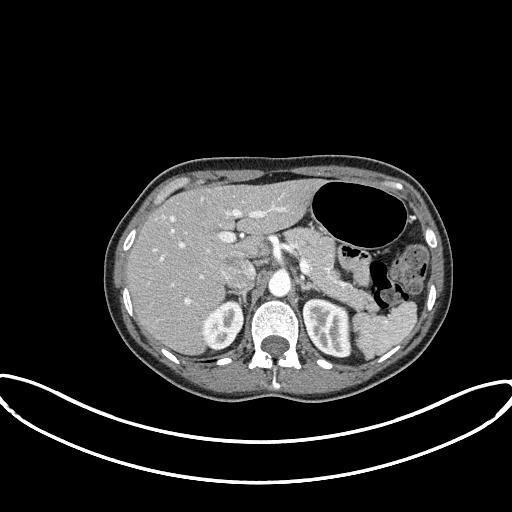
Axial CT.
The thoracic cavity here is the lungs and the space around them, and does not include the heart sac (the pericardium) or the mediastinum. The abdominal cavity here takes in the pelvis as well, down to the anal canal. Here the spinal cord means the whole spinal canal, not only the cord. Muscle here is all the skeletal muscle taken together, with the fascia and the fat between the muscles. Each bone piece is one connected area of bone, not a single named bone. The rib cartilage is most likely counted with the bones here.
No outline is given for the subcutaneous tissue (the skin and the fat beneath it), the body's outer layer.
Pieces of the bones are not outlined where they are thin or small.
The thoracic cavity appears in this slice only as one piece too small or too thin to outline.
{"abdominal_cavity":[[[350,365],[375,359],[400,344],[413,331],[426,301],[430,250],[409,201],[351,180],[274,173],[242,182],[180,188],[146,218],[128,252],[128,288],[138,323],[177,357],[210,360],[227,355],[250,329],[255,308],[279,299],[295,311],[299,329],[321,357]]],"bones":[{"outer":[[274,390],[277,390],[280,387],[276,380],[276,370],[279,366],[301,367],[296,351],[298,335],[297,317],[288,304],[279,300],[271,300],[262,303],[256,308],[252,315],[251,334],[254,352],[248,364],[250,368],[258,366],[271,369],[273,374],[270,388]],"hole":[[275,357],[277,357],[281,355],[282,353],[285,350],[287,349],[288,347],[288,343],[287,341],[284,338],[282,338],[279,336],[274,336],[273,335],[272,336],[269,336],[265,338],[263,340],[262,342],[262,348],[265,351],[268,352],[270,354],[271,354]]},[[156,205],[159,204],[164,199],[165,197],[166,197],[174,190],[180,187],[183,187],[187,185],[190,182],[190,179],[188,177],[180,177],[179,178],[177,178],[171,181],[165,186],[164,186],[158,192],[158,193],[153,199],[153,203]],[[131,316],[133,316],[134,315],[133,314],[133,310],[132,309],[132,306],[131,305],[131,300],[129,296],[129,292],[128,291],[128,289],[127,287],[124,287],[122,291],[122,295],[123,296],[123,302],[124,303],[124,305],[128,313]],[[430,248],[434,248],[435,247],[436,247],[436,246],[437,245],[437,242],[436,241],[436,238],[435,237],[435,234],[434,233],[434,232],[429,227],[427,227],[424,230],[424,235],[425,236],[425,239],[426,240],[426,241],[427,242],[428,245],[430,247]],[[428,310],[430,310],[432,308],[433,306],[433,304],[436,298],[435,296],[435,287],[433,284],[432,284],[430,286],[429,288],[429,290],[428,291],[428,296],[427,297],[427,301],[426,302],[426,305],[427,306],[427,309]],[[124,251],[126,251],[127,250],[128,250],[129,249],[129,248],[131,246],[131,245],[135,238],[135,236],[136,235],[136,229],[132,229],[129,232],[129,233],[127,235],[126,238],[124,240],[124,242],[123,243],[123,246],[122,247],[122,248]],[[377,362],[381,362],[383,360],[384,360],[385,359],[386,359],[388,357],[389,357],[393,353],[394,353],[400,347],[400,345],[397,345],[396,346],[395,346],[393,348],[392,348],[388,352],[387,352],[385,354],[382,355],[379,358],[378,358],[377,359]],[[175,363],[179,363],[179,360],[171,352],[170,352],[168,350],[167,350],[165,348],[164,348],[163,347],[162,347],[161,348],[161,352],[165,356],[166,356],[169,359],[170,359],[172,361],[173,361]]],"torso":[[[310,403],[348,397],[395,375],[421,355],[443,323],[452,296],[453,259],[448,234],[429,194],[413,176],[394,165],[346,154],[205,157],[187,160],[162,171],[145,186],[122,216],[104,255],[105,300],[122,340],[148,367],[195,395],[222,402],[275,396]]],"muscle":[{"outer":[[296,394],[331,392],[360,383],[409,352],[427,332],[441,298],[444,267],[441,238],[424,200],[403,179],[337,165],[271,170],[207,169],[166,179],[147,196],[117,244],[113,271],[115,292],[125,325],[139,345],[184,378],[217,392],[273,390],[269,388],[271,370],[247,366],[253,352],[250,330],[237,349],[226,356],[232,358],[229,364],[218,366],[214,362],[181,358],[178,358],[180,363],[175,364],[160,352],[161,346],[141,328],[135,316],[127,313],[122,302],[121,291],[127,286],[125,264],[128,251],[121,248],[123,240],[132,228],[137,231],[155,209],[152,199],[168,182],[188,176],[191,182],[186,186],[193,186],[202,182],[248,180],[274,172],[336,176],[386,188],[406,198],[423,229],[429,226],[435,232],[438,245],[430,249],[432,265],[428,288],[432,283],[435,285],[437,298],[430,311],[425,304],[418,324],[401,347],[381,363],[376,359],[356,366],[334,364],[331,369],[323,369],[315,362],[320,356],[304,332],[299,330],[297,351],[302,367],[279,367],[277,370],[277,380],[281,385],[278,390]],"hole":[[398,190],[403,190],[404,189],[404,187],[402,184],[401,184],[398,182],[394,182],[393,181],[382,181],[382,183],[383,184],[384,184],[385,185],[387,185],[388,186],[389,186],[390,187],[391,187],[394,189],[397,189]]}],"spinal_cord":[[[275,357],[277,357],[281,355],[282,353],[285,350],[287,349],[288,347],[288,343],[287,341],[284,338],[282,338],[279,336],[274,336],[273,335],[272,336],[269,336],[265,338],[263,340],[262,342],[262,348],[265,351],[268,352],[270,354],[271,354]]]}